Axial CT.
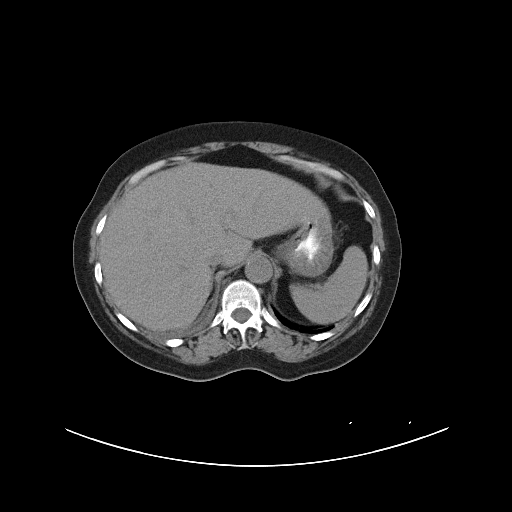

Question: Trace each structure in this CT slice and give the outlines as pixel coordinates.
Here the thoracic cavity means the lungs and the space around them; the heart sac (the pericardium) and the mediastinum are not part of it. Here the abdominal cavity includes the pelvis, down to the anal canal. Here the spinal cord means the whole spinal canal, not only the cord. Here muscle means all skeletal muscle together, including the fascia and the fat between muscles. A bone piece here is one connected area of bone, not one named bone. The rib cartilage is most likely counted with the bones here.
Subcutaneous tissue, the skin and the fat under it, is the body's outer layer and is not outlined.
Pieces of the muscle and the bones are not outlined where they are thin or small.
Answer: {"torso":[[[229,120],[286,124],[349,146],[372,167],[392,204],[402,249],[397,289],[377,335],[362,353],[341,367],[291,381],[255,369],[242,369],[207,381],[154,371],[128,359],[107,340],[78,291],[72,261],[74,231],[106,169],[127,149],[165,131],[194,123]]],"thoracic_cavity":[[[270,304],[271,304],[277,312],[284,319],[297,325],[305,326],[306,327],[319,327],[320,326],[326,326],[327,325],[333,325],[334,326],[331,329],[317,333],[313,333],[312,334],[290,328],[281,323],[279,319],[276,317],[275,315],[270,312],[267,308]]],"muscle":[{"outer":[[213,141],[272,142],[327,159],[353,174],[378,207],[385,234],[385,250],[382,282],[377,301],[367,322],[333,348],[303,361],[286,362],[251,350],[241,350],[249,347],[246,332],[249,328],[262,332],[264,321],[278,329],[282,327],[282,324],[290,329],[310,334],[309,338],[313,341],[322,341],[331,337],[334,334],[332,329],[352,314],[354,317],[358,316],[372,298],[372,293],[367,291],[372,264],[377,266],[381,259],[378,245],[372,243],[372,225],[369,219],[376,217],[373,207],[365,199],[360,201],[352,189],[340,181],[343,181],[345,176],[339,170],[286,153],[278,155],[276,160],[255,149],[238,146],[213,151],[164,168],[169,165],[164,158],[147,164],[177,148]],"hole":[[174,156],[184,156],[187,159],[187,160],[184,160],[183,161],[174,161],[173,160],[171,160],[170,159],[172,157],[173,157]]},[[137,170],[127,184],[133,186],[143,178],[119,198],[108,216],[105,213],[96,224],[94,231],[99,235],[99,261],[93,265],[95,281],[99,286],[103,284],[117,309],[115,316],[133,332],[138,332],[140,328],[167,338],[164,344],[174,348],[184,342],[180,337],[221,324],[225,335],[231,329],[238,331],[241,340],[237,348],[239,351],[203,365],[182,363],[135,342],[122,333],[104,311],[89,270],[90,227],[119,183]]],"abdominal_cavity":[[[238,147],[317,173],[324,183],[337,184],[343,195],[361,202],[372,239],[366,292],[353,313],[335,326],[297,324],[272,305],[275,263],[255,252],[225,276],[219,308],[204,328],[168,338],[138,327],[104,287],[99,246],[108,217],[120,198],[151,174]]],"mediastinum":[[[255,253],[261,253],[267,256],[269,256],[274,263],[275,278],[274,279],[274,286],[273,287],[273,296],[271,303],[266,307],[266,306],[263,304],[262,295],[259,289],[250,281],[244,278],[237,278],[230,281],[225,286],[225,278],[229,272],[247,260]],[[318,173],[320,174],[323,174],[325,176],[327,176],[334,180],[339,181],[345,184],[348,187],[349,187],[353,193],[355,194],[355,197],[349,197],[343,194],[340,191],[339,185],[337,183],[333,183],[332,182],[324,182]]],"spinal_cord":[[[238,308],[245,308],[246,309],[247,309],[250,312],[250,316],[245,321],[244,321],[243,322],[239,322],[238,321],[237,321],[235,319],[234,319],[232,317],[232,313],[233,312],[233,311],[234,310],[235,310],[236,309],[237,309]]],"bones":[{"outer":[[237,279],[244,279],[258,289],[262,304],[278,319],[281,325],[278,328],[264,320],[261,325],[262,331],[260,332],[249,327],[245,332],[248,347],[240,350],[238,348],[242,340],[236,328],[231,328],[225,334],[221,323],[209,327],[220,308],[224,288]],"hole":[[238,308],[245,308],[246,309],[247,309],[250,312],[250,316],[245,321],[244,321],[243,322],[239,322],[238,321],[237,321],[235,319],[234,319],[232,317],[232,313],[233,312],[233,311],[234,310],[235,310],[236,309],[237,309]]},[[284,154],[308,161],[317,162],[327,167],[333,168],[339,171],[344,176],[344,179],[343,180],[337,180],[327,175],[325,175],[323,173],[314,172],[313,171],[306,171],[303,169],[298,168],[285,160],[284,161],[279,161],[277,159],[277,157]],[[162,159],[166,160],[167,161],[168,165],[166,165],[159,169],[157,169],[154,171],[152,171],[148,173],[142,177],[135,184],[133,185],[130,185],[128,184],[128,181],[132,175],[133,175],[140,169],[143,168],[149,164],[151,164],[158,160],[161,160]],[[367,292],[370,292],[371,293],[371,298],[370,299],[370,300],[368,302],[367,305],[364,308],[364,309],[358,315],[357,315],[356,316],[354,316],[353,315],[353,314],[354,313],[354,311],[355,310],[356,307],[359,304],[359,303],[361,301],[361,300]],[[118,311],[119,312],[120,312],[124,316],[125,316],[131,322],[132,322],[137,327],[137,328],[138,329],[138,331],[137,331],[136,332],[135,331],[133,331],[132,330],[129,329],[127,327],[126,327],[119,320],[119,319],[116,316],[115,313]],[[97,261],[98,261],[100,263],[100,264],[101,265],[101,275],[102,276],[102,284],[101,285],[99,285],[98,284],[98,283],[96,281],[96,280],[95,279],[95,277],[94,276],[94,265],[95,264],[95,263]],[[329,330],[331,330],[333,332],[333,334],[331,336],[330,336],[329,337],[328,337],[325,339],[323,339],[322,340],[313,340],[310,338],[310,336],[313,334],[317,334],[318,333],[321,333],[322,332],[325,332],[326,331],[328,331]],[[373,244],[376,244],[377,245],[377,246],[378,247],[378,248],[379,249],[379,252],[380,253],[380,259],[379,260],[379,263],[377,265],[376,265],[373,262],[373,261],[372,260],[372,245]],[[105,214],[106,214],[107,215],[107,217],[106,218],[106,220],[105,221],[105,223],[103,226],[103,229],[98,235],[97,234],[96,234],[96,232],[95,231],[96,230],[96,227],[97,226],[97,224],[98,223],[98,222],[100,220],[100,219]],[[363,200],[365,200],[372,207],[372,208],[374,211],[374,213],[375,214],[375,217],[374,218],[372,218],[371,217],[370,217],[370,216],[367,213],[367,212],[366,211],[366,210],[364,208],[364,206],[362,203],[362,201]]]}